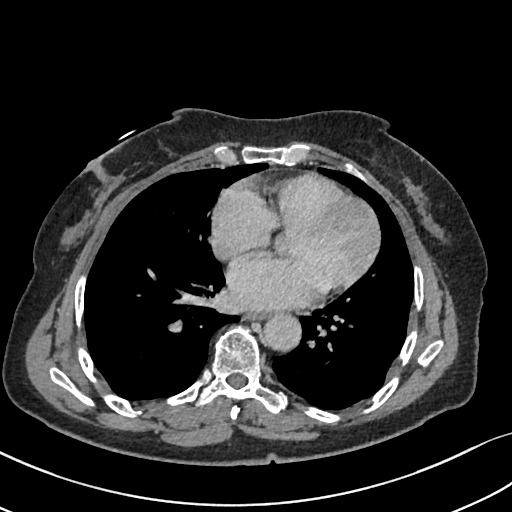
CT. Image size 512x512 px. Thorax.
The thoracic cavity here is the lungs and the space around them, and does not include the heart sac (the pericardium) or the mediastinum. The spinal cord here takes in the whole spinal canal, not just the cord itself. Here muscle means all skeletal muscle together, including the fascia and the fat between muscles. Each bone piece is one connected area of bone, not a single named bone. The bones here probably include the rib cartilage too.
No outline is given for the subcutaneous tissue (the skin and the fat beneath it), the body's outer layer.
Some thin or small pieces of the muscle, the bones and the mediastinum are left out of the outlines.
The pericardium is outlined by 280 168; 300 168; 307 171; 317 172; 350 188; 373 209; 381 232; 380 247; 373 263; 367 271; 346 291; 323 307; 309 311; 277 309; 255 313; 244 309; 228 292; 222 265; 211 250; 210 212; 219 196; 232 184; 257 173. The spinal cord is outlined by 233 373; 240 373; 241 374; 242 374; 244 376; 245 376; 247 379; 247 382; 246 383; 246 384; 245 385; 244 385; 243 386; 242 386; 239 388; 234 388; 232 386; 231 386; 228 383; 228 382; 227 381; 227 377. The muscle is outlined by 228 140; 249 144; 240 148; 240 159; 226 144; 218 145; 212 154; 225 167; 175 172; 136 194; 110 225; 87 275; 77 278; 74 320; 80 328; 83 318; 86 339; 86 345; 76 348; 77 360; 91 383; 96 386; 99 381; 95 368; 103 378; 110 390; 98 390; 104 403; 122 416; 135 418; 143 411; 129 400; 164 399; 173 407; 185 403; 201 407; 222 395; 236 401; 255 399; 278 414; 287 407; 288 395; 261 382; 262 367; 309 405; 303 411; 307 416; 333 424; 342 419; 337 412; 372 395; 361 411; 368 414; 396 390; 398 373; 385 381; 394 361; 404 367; 416 346; 418 326; 415 323; 408 331; 408 327; 412 303; 418 312; 424 303; 422 268; 412 262; 394 212; 355 165; 306 161; 311 146; 301 141; 287 146; 290 141; 317 143; 368 169; 406 207; 437 265; 457 317; 457 355; 414 402; 380 419; 308 440; 269 440; 236 429; 227 441; 184 447; 78 420; 57 410; 33 386; 25 363; 26 344; 106 204; 125 187; 181 156, around holes outlined by 53 366; 56 366; 59 369; 60 369; 84 394; 90 397; 93 400; 95 403; 95 405; 94 406; 89 406; 88 405; 86 405; 80 401; 73 394; 72 394; 65 388; 55 383; 51 379; 50 377; 50 374; 49 373; 49 369 and by 438 339; 441 339; 443 341; 443 346; 441 348; 439 352; 433 358; 433 359; 426 367; 423 367; 421 366; 417 362; 417 358; 419 356; 419 355; 425 349; 425 348; 430 343 and by 235 404; 236 404; 239 407; 239 412; 238 413; 238 415; 237 416; 237 417; 236 418; 236 419; 235 420; 232 420; 231 419; 231 418; 230 417; 230 411; 231 410; 231 408; 232 407; 232 406; 233 405; 234 405. The bones appear in 12 outlined pieces: piece 1: 236 325; 247 328; 259 340; 260 359; 263 362; 260 382; 274 391; 283 391; 288 398; 286 407; 272 413; 255 398; 236 400; 222 394; 201 406; 195 406; 193 402; 173 406; 166 404; 166 398; 185 390; 205 367; 210 366; 218 335, around a hole outlined by 233 373; 240 373; 241 374; 242 374; 244 376; 245 376; 247 379; 247 382; 246 383; 246 384; 245 385; 244 385; 243 386; 242 386; 239 388; 234 388; 232 386; 231 386; 228 383; 228 382; 227 381; 227 377; piece 2: 295 142; 307 143; 312 149; 307 160; 292 166; 268 162; 247 164; 241 161; 238 164; 234 165; 220 164; 217 163; 213 154; 213 150; 216 147; 226 145; 238 155; 238 158; 240 160; 240 150; 244 145; 271 148; 279 146; 287 147; piece 3: 53 366; 56 366; 59 369; 60 369; 84 394; 90 397; 93 400; 95 403; 95 405; 94 406; 89 406; 88 405; 86 405; 80 401; 73 394; 72 394; 65 388; 55 383; 51 379; 50 377; 50 374; 49 373; 49 369; piece 4: 99 390; 101 391; 106 391; 107 392; 108 391; 110 391; 114 393; 116 395; 128 400; 130 402; 132 407; 134 409; 136 410; 138 410; 139 409; 141 410; 142 412; 135 417; 128 417; 116 412; 114 410; 110 408; 105 403; 100 395; piece 5: 395 374; 398 374; 399 375; 400 379; 399 380; 399 382; 398 383; 397 387; 391 394; 391 395; 380 406; 379 406; 374 410; 368 413; 363 413; 362 412; 363 409; 368 407; 372 403; 371 401; 371 397; 379 389; 380 389; 393 375; piece 6: 81 274; 86 274; 87 276; 86 277; 85 289; 84 290; 84 298; 83 299; 83 315; 82 316; 82 320; 81 321; 81 326; 80 327; 77 327; 76 325; 76 321; 75 320; 75 287; 76 286; 76 283; 78 280; 78 278; piece 7: 80 345; 83 345; 84 346; 86 346; 87 348; 87 350; 91 357; 91 359; 94 365; 94 374; 98 380; 96 385; 92 382; 91 382; 90 380; 86 376; 78 360; 78 354; 77 353; 77 348; 78 346; piece 8: 415 324; 416 324; 417 326; 417 338; 416 339; 415 346; 412 351; 411 356; 408 362; 404 366; 402 366; 401 364; 401 361; 399 359; 398 359; 397 357; 405 341; 405 339; 407 336; 407 334; 408 332; 415 325; piece 9: 415 263; 420 266; 420 267; 421 268; 421 270; 422 271; 422 273; 423 274; 423 303; 421 306; 421 309; 419 311; 418 311; 416 309; 416 307; 415 306; 415 305; 413 303; 413 300; 414 299; 414 270; 413 269; 413 264; 414 264; piece 10: 309 406; 313 406; 314 407; 316 407; 322 410; 326 410; 327 411; 331 411; 332 412; 339 413; 341 415; 341 419; 337 422; 334 422; 333 423; 326 423; 323 421; 320 421; 315 418; 310 417; 304 412; 304 411; piece 11: 438 339; 441 339; 443 341; 443 346; 441 348; 439 352; 433 358; 433 359; 426 367; 423 367; 421 366; 417 362; 417 358; 419 356; 419 355; 425 349; 425 348; 430 343; piece 12: 347 162; 349 162; 354 166; 355 166; 357 168; 357 169; 359 170; 367 178; 367 179; 371 184; 372 187; 368 185; 358 177; 350 173; 348 173; 345 171; 343 171; 342 170; 340 170; 336 168; 336 167; 341 167; 345 163. The thoracic cavity appears in 2 outlined pieces: piece 1: 257 163; 266 163; 266 167; 224 187; 209 212; 207 242; 221 267; 225 296; 237 309; 239 320; 226 323; 212 334; 206 366; 185 389; 165 398; 140 400; 127 399; 111 391; 88 350; 83 317; 87 277; 111 225; 136 195; 169 175; piece 2: 319 168; 350 174; 383 198; 399 224; 413 270; 413 299; 407 333; 382 386; 336 412; 308 404; 278 381; 269 364; 275 357; 291 353; 302 343; 300 318; 311 315; 346 292; 368 271; 380 251; 382 232; 372 206; 347 185; 320 172. The torso is outlined by 181 107; 246 118; 331 109; 366 111; 389 121; 394 136; 447 177; 472 219; 488 266; 477 379; 465 404; 395 437; 336 455; 211 466; 146 459; 97 447; 48 427; 10 400; 1 367; 45 215; 90 161; 136 131; 167 120; 172 110. The mediastinum appears in 2 outlined pieces: piece 1: 226 285; 229 296; 251 313; 314 310; 299 318; 301 343; 291 352; 275 356; 268 364; 277 381; 262 366; 260 340; 241 324; 231 325; 217 335; 212 346; 212 359; 207 366; 213 334; 226 324; 240 320; 238 309; 226 296; 223 288; piece 2: 315 161; 323 162; 335 167; 335 168; 319 167; 317 169; 319 172; 312 170; 307 170; 305 168; 300 167; 280 167; 270 170; 265 171; 260 171; 259 172; 248 177; 246 177; 256 172; 265 169; 267 167; 267 163; 283 165; 287 167; 292 167; 300 163; 314 162.